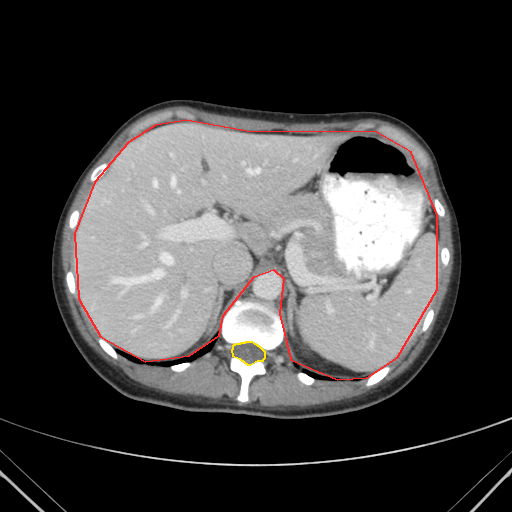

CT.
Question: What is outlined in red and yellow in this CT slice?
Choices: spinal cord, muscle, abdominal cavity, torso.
Answer: red: abdominal cavity; yellow: spinal cord.
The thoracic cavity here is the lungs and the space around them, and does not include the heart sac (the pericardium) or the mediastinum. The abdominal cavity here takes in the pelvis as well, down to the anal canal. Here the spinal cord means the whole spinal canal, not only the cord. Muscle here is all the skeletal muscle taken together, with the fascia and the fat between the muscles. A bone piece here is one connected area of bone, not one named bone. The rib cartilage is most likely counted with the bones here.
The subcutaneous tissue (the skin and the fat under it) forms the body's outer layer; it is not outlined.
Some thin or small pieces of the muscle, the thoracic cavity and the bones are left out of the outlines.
Outlines:
abdominal cavity: 337 379; 367 377; 397 357; 437 289; 437 215; 411 152; 376 132; 246 131; 186 120; 155 125; 128 142; 94 182; 74 233; 78 298; 100 336; 145 361; 189 355; 219 335; 223 315; 254 276; 273 269; 283 278; 279 313; 290 359
spinal cord: 247 364; 250 364; 257 360; 263 360; 263 359; 265 357; 265 352; 259 346; 258 346; 256 344; 255 344; 252 342; 245 342; 244 343; 240 343; 239 344; 235 344; 234 345; 233 345; 232 346; 232 349; 231 350; 232 355; 239 358
bones 1: 241 402; 249 400; 248 387; 252 378; 266 372; 265 358; 247 365; 231 355; 231 346; 252 341; 270 355; 269 352; 282 342; 284 333; 276 308; 271 303; 253 298; 234 302; 224 315; 220 332; 230 351; 229 367; 241 378; 236 397
bones 2: 424 167; 427 165; 426 159; 422 153; 411 141; 401 132; 389 126; 385 125; 376 126; 371 123; 361 123; 355 127; 356 130; 364 130; 365 129; 374 128; 378 133; 385 137; 392 139; 398 143; 400 143; 409 149; 418 160; 420 164
bones 3: 132 134; 136 133; 141 129; 155 124; 168 117; 171 117; 174 114; 180 117; 184 116; 185 117; 193 117; 193 115; 184 111; 176 111; 175 112; 167 111; 163 112; 152 117; 147 118; 145 120; 140 122; 131 130; 130 133
bones 4: 367 386; 370 386; 378 382; 381 379; 382 379; 388 373; 388 372; 390 370; 390 367; 389 365; 387 365; 381 368; 379 370; 376 371; 374 373; 370 375; 367 378; 367 380; 365 384
bones 5: 115 359; 116 359; 118 357; 118 354; 116 352; 116 351; 105 340; 104 340; 103 339; 103 338; 102 338; 101 337; 99 337; 98 338; 98 342; 99 343; 99 344; 101 346; 101 347; 109 355; 110 355; 113 358; 114 358
bones 6: 91 181; 95 181; 96 180; 97 180; 100 177; 101 177; 101 176; 102 175; 103 175; 103 174; 107 169; 107 167; 108 166; 107 163; 102 163; 101 164; 100 164; 97 167; 96 167; 93 170; 93 171; 90 176; 90 180
bones 7: 308 385; 310 385; 314 382; 315 382; 316 379; 315 378; 308 375; 306 373; 305 373; 302 371; 300 371; 299 372; 298 372; 296 374; 296 375; 299 379; 299 380; 303 383; 304 383; 305 384; 307 384
muscle: 270 409; 287 409; 291 407; 303 408; 314 405; 321 405; 329 402; 338 402; 341 400; 349 399; 355 396; 358 396; 361 394; 369 392; 378 386; 380 386; 389 380; 396 377; 408 368; 418 356; 426 344; 427 340; 431 335; 431 332; 448 289; 448 285; 450 281; 450 277; 453 267; 453 243; 451 234; 451 217; 447 205; 441 193; 432 160; 424 148; 404 129; 390 122; 375 118; 365 118; 364 119; 358 119; 350 121; 333 121; 332 122; 321 121; 316 123; 287 123; 286 122; 274 122; 260 119; 252 119; 244 117; 223 115; 204 111; 189 106; 170 106; 147 113; 134 121; 124 129; 89 170; 85 176; 67 213; 62 231; 61 260; 63 268; 64 291; 68 301; 68 305; 70 308; 72 317; 83 338; 102 358; 111 365; 119 368; 130 378; 142 385; 151 387; 163 392; 168 392; 185 396; 193 396; 194 397; 198 397; 199 396; 201 397; 216 397; 221 399; 222 401; 231 401; 232 402; 231 403; 233 404; 248 405; 261 408; 265 407, around a hole outlined by 241 402; 249 400; 252 378; 266 372; 265 355; 282 342; 301 370; 296 375; 303 383; 366 377; 370 386; 388 373; 388 364; 432 321; 430 307; 440 268; 449 260; 447 247; 439 246; 437 216; 444 216; 444 209; 431 198; 421 169; 426 159; 401 132; 371 123; 355 129; 374 128; 375 133; 347 134; 233 130; 186 120; 158 124; 174 114; 193 117; 184 111; 167 111; 136 125; 132 134; 153 126; 128 142; 109 165; 102 163; 93 170; 94 185; 82 210; 75 209; 69 218; 69 227; 75 229; 73 269; 65 278; 100 335; 99 344; 115 359; 120 354; 137 363; 181 371; 220 335; 230 351; 229 367; 241 378; 236 397
mediastinum: 278 312; 279 307; 278 306; 277 298; 280 292; 280 290; 283 285; 282 283; 282 278; 281 276; 275 271; 273 270; 267 270; 255 276; 249 286; 242 294; 241 298; 243 298; 244 297; 253 297; 262 301; 271 302; 277 308
torso: 280 420; 329 417; 373 406; 407 385; 437 348; 454 311; 462 267; 458 220; 437 159; 409 124; 378 111; 288 112; 195 99; 169 99; 149 105; 109 137; 83 169; 63 205; 51 254; 51 283; 62 321; 87 364; 130 399; 188 412
thoracic cavity: 166 366; 174 363; 191 361; 196 357; 205 353; 212 347; 217 339; 218 335; 214 336; 205 346; 189 356; 173 361; 160 362; 159 363; 158 364; 155 364; 154 363; 151 362; 145 362; 139 358; 136 358; 129 354; 116 350; 119 354; 137 363; 148 363; 149 364; 159 364